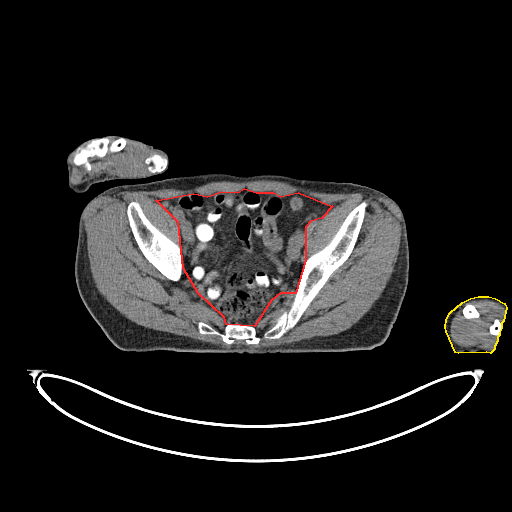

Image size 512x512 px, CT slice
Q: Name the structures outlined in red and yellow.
A: red: abdominal cavity; yellow: left arm.
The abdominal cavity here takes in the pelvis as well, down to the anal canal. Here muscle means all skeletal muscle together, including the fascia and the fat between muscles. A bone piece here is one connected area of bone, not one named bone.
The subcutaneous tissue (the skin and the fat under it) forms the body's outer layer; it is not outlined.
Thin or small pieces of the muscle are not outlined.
{"abdominal_cavity":[[[244,188],[256,192],[273,192],[280,196],[298,192],[332,206],[321,218],[310,221],[305,227],[305,260],[295,293],[280,293],[271,300],[254,326],[226,324],[224,317],[198,293],[183,268],[178,222],[156,200],[193,193],[207,196],[221,191],[237,192]]],"left_arm":[[[478,296],[488,296],[495,298],[504,303],[506,307],[503,321],[501,323],[501,328],[499,332],[499,335],[497,337],[497,341],[494,346],[494,349],[490,353],[486,352],[458,353],[455,352],[446,331],[445,327],[446,319],[450,312],[462,302],[470,298]]],"torso":[[[213,172],[240,176],[279,174],[302,179],[351,182],[380,190],[395,200],[406,222],[410,265],[406,293],[387,339],[369,350],[319,353],[188,353],[172,350],[140,352],[116,347],[85,307],[75,283],[74,261],[78,219],[82,209],[94,196],[113,186]]],"bones":[[[364,200],[367,202],[364,218],[355,245],[347,259],[331,274],[306,308],[297,323],[292,328],[285,332],[279,338],[269,339],[263,337],[263,332],[272,322],[283,312],[287,311],[290,308],[298,287],[303,265],[306,259],[323,248],[331,240],[349,212]],[[132,201],[138,202],[145,216],[150,222],[166,236],[179,245],[179,247],[181,250],[181,257],[182,258],[182,269],[181,270],[181,276],[179,280],[173,281],[168,279],[144,256],[140,250],[133,236],[127,216],[127,206],[128,204]],[[99,138],[106,138],[111,141],[119,138],[125,138],[126,143],[124,147],[119,151],[115,152],[108,151],[102,157],[98,156],[89,157],[88,161],[91,167],[90,170],[87,170],[83,165],[76,165],[73,162],[73,156],[78,148],[94,139]],[[200,321],[207,323],[220,331],[222,331],[227,324],[239,324],[240,325],[253,326],[255,327],[257,333],[260,336],[260,340],[258,343],[255,344],[247,344],[244,339],[235,339],[232,343],[228,344],[224,342],[219,335],[200,333],[198,329],[198,323]],[[154,153],[159,154],[160,155],[165,157],[167,159],[167,164],[166,165],[166,167],[162,171],[161,171],[160,172],[156,172],[155,173],[152,173],[148,170],[148,164],[147,163],[146,163],[146,159]],[[468,303],[470,303],[471,304],[472,304],[475,307],[475,308],[478,311],[478,312],[479,313],[479,316],[478,317],[474,317],[473,318],[466,318],[464,316],[462,310],[463,309],[464,306],[466,304],[467,304]],[[495,319],[498,319],[501,322],[501,328],[500,329],[500,331],[499,332],[499,335],[497,335],[496,336],[495,335],[494,335],[493,334],[491,334],[490,333],[490,332],[489,331],[489,328],[490,327],[490,326],[493,323],[493,322],[494,321],[494,320]]],"right_arm":[[[108,135],[118,135],[123,138],[131,138],[141,141],[164,151],[167,154],[167,164],[165,170],[145,177],[120,178],[106,180],[92,184],[84,192],[74,191],[68,185],[68,170],[67,169],[67,156],[68,154],[82,142],[86,140],[95,138],[102,138]]],"muscle":[{"outer":[[257,180],[268,180],[269,181],[285,182],[293,186],[300,187],[315,192],[321,192],[322,193],[331,193],[333,194],[334,193],[353,193],[356,192],[357,193],[362,193],[366,195],[372,195],[377,197],[382,197],[391,200],[392,202],[400,209],[401,216],[402,217],[402,227],[401,228],[399,251],[396,262],[394,265],[394,270],[391,274],[391,276],[379,298],[375,301],[371,308],[351,327],[339,333],[332,335],[328,335],[327,336],[315,336],[290,343],[284,343],[273,346],[250,347],[247,345],[235,345],[233,344],[228,347],[225,347],[219,344],[202,341],[188,336],[178,335],[165,331],[155,330],[151,328],[147,328],[144,326],[139,325],[131,321],[121,314],[111,305],[98,291],[90,270],[89,260],[87,255],[87,235],[84,227],[84,221],[83,220],[84,212],[89,204],[93,200],[100,196],[103,196],[106,193],[114,192],[115,191],[154,191],[164,188],[174,188],[175,189],[186,190],[187,189],[192,189],[197,185],[203,185],[210,182],[216,182],[217,181],[249,182],[250,181],[256,181]],"hole":[[244,188],[280,196],[298,192],[332,206],[305,227],[305,260],[331,240],[351,210],[364,200],[367,206],[351,253],[292,328],[279,338],[263,337],[294,299],[294,291],[280,293],[254,323],[260,336],[258,343],[235,339],[228,344],[219,335],[200,333],[200,321],[222,331],[224,317],[198,293],[184,268],[179,280],[173,281],[144,256],[129,225],[127,206],[138,202],[150,222],[179,245],[177,220],[156,200]]},[[127,142],[141,145],[153,152],[145,159],[148,172],[124,176],[103,173],[98,176],[93,176],[80,184],[74,184],[70,182],[72,158],[72,162],[76,166],[83,166],[87,171],[90,171],[92,167],[89,158],[102,158],[108,152],[119,152],[125,147]],[[477,300],[493,301],[505,309],[502,322],[498,318],[495,318],[488,328],[491,335],[498,336],[494,348],[491,349],[477,346],[461,346],[454,341],[451,335],[451,322],[459,310],[462,309],[462,314],[466,319],[478,318],[480,316],[479,311],[470,302]]]}